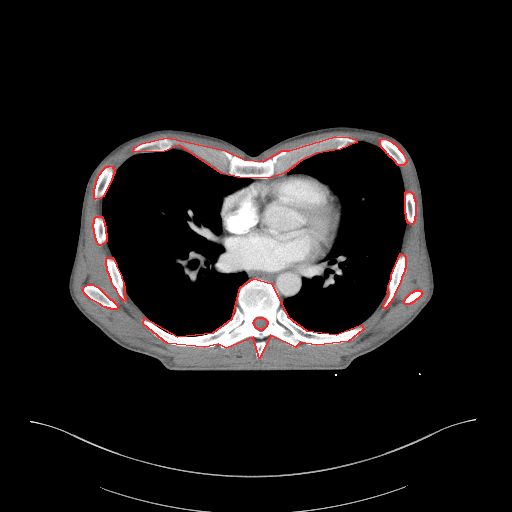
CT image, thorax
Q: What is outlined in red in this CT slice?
A: red: bones.
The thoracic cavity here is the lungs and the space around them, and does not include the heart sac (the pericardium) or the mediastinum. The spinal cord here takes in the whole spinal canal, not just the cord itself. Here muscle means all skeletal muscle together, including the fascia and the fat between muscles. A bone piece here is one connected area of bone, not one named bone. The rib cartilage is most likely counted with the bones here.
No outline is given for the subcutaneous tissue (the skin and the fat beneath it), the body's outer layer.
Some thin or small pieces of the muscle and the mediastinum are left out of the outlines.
Outlines (x, y in pixels):
bones 1: 253,278 271,283 287,316 306,330 336,334 361,324 363,329 348,341 316,345 300,342 295,347 270,335 259,358 253,337 226,348 218,344 204,347 167,343 143,324 144,317 177,336 213,332 232,318 240,287 with a hole at 257,317 262,317 263,318 264,318 267,321 267,324 266,325 266,326 263,329 262,329 261,330 260,330 259,329 258,329 257,328 256,328 255,327 255,326 254,325 254,324 253,323 253,322 254,321 254,320
bones 2: 335,136 349,137 355,139 356,142 340,149 316,153 301,160 284,173 268,178 239,177 221,173 179,145 164,151 133,152 134,147 141,143 167,137 225,150 244,159 263,161 282,150 289,150
bones 3: 400,253 403,254 405,256 405,268 404,269 403,274 401,277 400,282 394,293 394,295 392,299 387,306 385,308 383,308 383,305 387,298 387,295 388,294 387,291 388,290 388,286 391,278 391,275
bones 4: 88,284 92,284 98,287 110,299 111,299 117,305 117,308 116,309 111,309 110,308 107,308 106,307 104,307 102,306 100,304 90,299 84,293 83,291 83,288 84,286
bones 5: 107,257 112,257 116,264 116,266 121,276 121,278 123,282 123,285 124,286 124,297 125,298 125,300 124,301 120,297 116,289 114,287 111,281 111,279 109,276 109,274 107,271 107,267 106,266 106,258
bones 6: 109,165 112,166 112,167 114,169 114,173 112,176 112,178 111,179 103,196 100,198 95,199 94,198 94,188 95,187 95,184 96,183 97,178 98,177 99,174 101,172 101,171 106,166 108,166
bones 7: 382,138 387,139 391,141 393,143 394,143 402,152 406,160 406,162 403,165 398,165 396,163 396,162 391,157 390,157 388,155 388,154 386,153 386,152 380,146 380,142 379,141 380,139
bones 8: 406,191 410,191 413,194 413,197 414,198 414,200 415,201 415,216 414,217 414,221 413,222 413,223 412,224 410,224 409,223 408,223 407,222 407,220 406,219 406,214 405,213 405,192
bones 9: 96,216 101,216 102,217 103,219 103,221 104,222 104,225 105,226 105,232 106,233 106,241 104,243 100,245 99,245 96,241 96,239 95,238 95,235 94,234 94,229 93,228 93,223 94,222 94,218
bones 10: 415,290 420,290 421,291 421,292 422,293 421,294 421,295 417,299 416,299 413,302 412,302 411,303 410,303 409,304 405,304 404,303 404,300 405,299 405,298 411,292 412,292 413,291 414,291
muscle 1: 165,132 219,142 233,148 243,157 225,149 163,136 137,144 132,149 134,154 115,171 112,165 106,165 96,178 93,198 95,200 102,198 102,203 101,215 93,218 92,228 96,243 100,246 106,242 111,254 105,258 106,271 119,297 124,302 126,300 125,290 144,314 141,319 142,324 156,338 180,347 212,348 218,345 222,349 246,338 253,338 254,354 257,359 261,357 266,346 266,338 270,336 294,348 300,343 313,346 332,345 356,338 364,329 362,323 374,312 386,293 382,308 385,309 391,302 406,268 406,256 401,252 401,247 407,223 412,225 415,221 416,201 410,190 405,191 399,166 403,166 407,160 399,147 410,162 418,191 420,238 429,274 429,289 426,296 402,323 370,345 344,356 341,362 331,365 247,368 178,366 172,363 170,357 122,340 90,314 74,292 73,280 83,240 87,196 93,177 110,156 132,141; inner edges: 88,284 92,284 98,287 110,299 111,299 117,305 117,308 116,309 111,309 110,308 107,308 106,307 104,307 102,306 100,304 90,299 84,293 83,291 83,288 84,286, then 415,290 420,290 421,291 421,292 422,293 421,294 421,295 417,299 416,299 413,302 412,302 411,303 410,303 409,304 405,304 404,303 404,300 405,299 405,298 411,292 412,292 413,291 414,291
muscle 2: 333,131 361,131 374,133 387,138 384,137 380,138 378,141 379,146 362,140 357,141 355,138 349,136 335,135 316,139 300,144 289,149 282,149 269,158 263,160 258,160 260,160 268,152 282,144 308,136
pericardium: 284,174 305,174 311,176 329,186 338,197 341,205 341,215 339,227 333,244 329,251 323,257 299,267 286,267 275,271 242,268 228,253 224,244 220,215 223,198 228,194 254,181 274,178 276,176 281,176
torso: 329,126 357,126 390,134 407,149 417,170 434,291 413,321 389,341 357,357 343,370 172,371 157,359 112,341 74,305 68,280 85,187 96,165 118,144 151,130 175,128 215,136 250,155 257,155 285,138
spinal cord: 257,317 262,317 263,318 264,318 267,321 267,324 266,325 266,326 263,329 262,329 261,330 260,330 259,329 258,329 257,328 256,328 255,327 255,326 254,325 254,324 253,323 253,322 254,321 254,320
thoracic cavity 1: 173,148 196,156 221,174 250,179 245,185 225,195 219,210 220,234 225,251 247,279 237,291 231,318 217,329 197,335 177,335 164,330 132,300 107,243 102,216 103,197 115,172 127,159 139,153 164,152
thoracic cavity 2: 359,141 380,147 399,167 406,220 400,252 385,294 365,320 341,332 316,332 294,322 282,305 285,299 300,293 303,271 325,259 331,250 341,223 342,205 326,183 305,173 289,173 289,170 316,154 340,150
mediastinum: 326,254 325,258 313,263 302,271 302,286 299,293 285,298 282,304 280,295 271,282 261,277 253,277 248,279 247,274 239,269 232,259 233,258 235,260 240,268 245,270 275,272 286,268 299,268 323,258